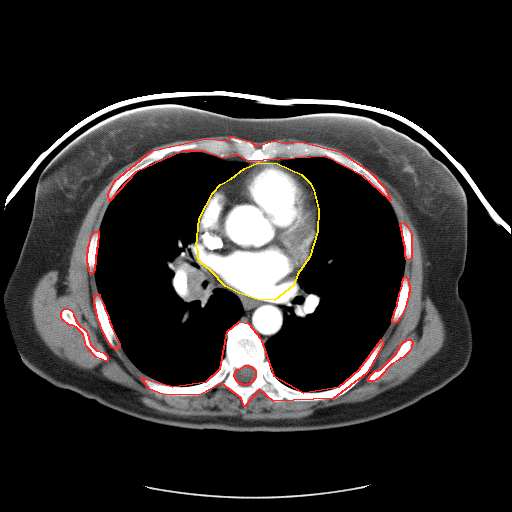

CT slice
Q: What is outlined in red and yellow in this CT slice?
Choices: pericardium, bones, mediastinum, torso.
A: red: bones; yellow: pericardium.
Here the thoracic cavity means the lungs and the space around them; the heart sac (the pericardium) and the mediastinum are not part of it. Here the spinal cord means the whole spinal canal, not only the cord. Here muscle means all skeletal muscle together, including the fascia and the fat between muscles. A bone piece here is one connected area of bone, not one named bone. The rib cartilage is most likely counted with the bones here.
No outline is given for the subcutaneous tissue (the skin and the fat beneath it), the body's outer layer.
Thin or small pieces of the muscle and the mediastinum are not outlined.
The bones appear in 8 outlined pieces: piece 1: (239, 321) (248, 323) (260, 338) (273, 375) (303, 392) (339, 386) (359, 369) (381, 339) (383, 343) (366, 373) (333, 398) (273, 401) (259, 389) (244, 406) (241, 398) (221, 383) (199, 395) (162, 394) (149, 389) (141, 377) (172, 386) (206, 381) (220, 368) (227, 331), around a hole outlined by (245, 365) (248, 365) (249, 366) (251, 366) (255, 370) (255, 377) (254, 378) (254, 379) (249, 384) (246, 384) (245, 385) (244, 385) (243, 384) (241, 384) (240, 383) (239, 383) (236, 380) (236, 379) (234, 376) (234, 374) (235, 373) (235, 371) (237, 369) (239, 369); piece 2: (231, 136) (250, 141) (256, 146) (273, 140) (286, 143) (300, 141) (339, 151) (369, 171) (384, 187) (390, 200) (363, 176) (325, 156) (248, 161) (235, 154) (222, 158) (203, 151) (182, 151) (135, 172) (109, 201) (108, 194) (114, 181) (152, 150) (206, 138) (228, 140); piece 3: (96, 294) (99, 294) (99, 296) (104, 306) (104, 308) (108, 317) (109, 322) (111, 325) (111, 327) (119, 343) (119, 346) (117, 347) (117, 349) (116, 350) (110, 345) (100, 326) (100, 324) (97, 317) (96, 310) (95, 309) (95, 305) (94, 304) (94, 297); piece 4: (65, 308) (69, 309) (72, 311) (73, 315) (75, 318) (75, 320) (77, 323) (86, 331) (90, 344) (96, 350) (103, 352) (107, 356) (107, 360) (106, 361) (96, 357) (86, 346) (83, 334) (76, 327) (72, 325) (69, 325) (62, 319) (61, 317) (61, 312) (62, 310); piece 5: (407, 339) (410, 339) (412, 341) (412, 344) (411, 345) (411, 347) (409, 351) (403, 357) (400, 358) (398, 360) (391, 364) (378, 378) (373, 381) (368, 381) (367, 379) (369, 377) (369, 376) (375, 370) (378, 370) (380, 369) (395, 354) (401, 344); piece 6: (405, 276) (407, 278) (408, 284) (409, 285) (409, 292) (408, 293) (407, 301) (406, 302) (405, 307) (400, 317) (396, 322) (393, 323) (392, 322) (392, 318) (393, 317) (393, 315) (394, 314) (394, 312) (397, 305) (397, 301) (398, 300) (399, 293) (401, 289) (403, 278); piece 7: (95, 231) (98, 231) (97, 247) (96, 248) (96, 254) (95, 255) (95, 264) (94, 265) (94, 270) (93, 272) (92, 273) (90, 273) (89, 271) (89, 268) (88, 267) (88, 264) (87, 263) (87, 252) (88, 251) (88, 246) (89, 245) (90, 239) (93, 233); piece 8: (401, 222) (404, 223) (407, 226) (411, 234) (411, 257) (410, 259) (408, 260) (406, 259) (406, 257) (405, 256) (405, 246) (404, 245) (404, 242) (403, 241) (403, 237) (402, 236) (402, 231) (401, 230) (401, 227) (400, 226) (400, 224). The pericardium is outlined by (258, 162) (277, 163) (301, 174) (309, 182) (313, 189) (318, 209) (317, 231) (309, 257) (297, 274) (293, 285) (274, 300) (257, 299) (239, 293) (225, 286) (211, 271) (200, 262) (198, 259) (198, 250) (196, 246) (199, 218) (213, 192) (220, 184) (231, 178) (244, 168). The torso is outlined by (158, 108) (235, 118) (363, 120) (408, 138) (439, 160) (461, 186) (468, 209) (465, 267) (458, 281) (473, 335) (465, 369) (443, 387) (389, 415) (343, 427) (285, 432) (155, 423) (57, 387) (30, 370) (10, 328) (4, 289) (28, 230) (38, 178) (80, 136) (126, 112). The mediastinum is outlined by (199, 262) (211, 272) (225, 287) (239, 294) (257, 300) (276, 300) (280, 295) (293, 286) (296, 280) (296, 286) (298, 289) (287, 298) (281, 328) (264, 344) (254, 328) (248, 322) (239, 320) (244, 311) (238, 296) (225, 288) (214, 287) (210, 281) (210, 278) (202, 269). The spinal cord is outlined by (245, 365) (248, 365) (249, 366) (251, 366) (255, 370) (255, 377) (254, 378) (254, 379) (249, 384) (246, 384) (245, 385) (244, 385) (243, 384) (241, 384) (240, 383) (239, 383) (236, 380) (236, 379) (234, 376) (234, 374) (235, 373) (235, 371) (237, 369) (239, 369). The thoracic cavity appears in 2 outlined pieces: piece 1: (182, 152) (203, 152) (226, 161) (246, 163) (224, 179) (208, 198) (198, 218) (194, 245) (199, 266) (211, 285) (236, 295) (243, 311) (226, 331) (224, 356) (217, 371) (196, 384) (172, 385) (149, 377) (127, 356) (110, 322) (94, 271) (101, 222) (117, 190) (141, 169); piece 2: (309, 156) (333, 160) (379, 190) (397, 219) (405, 257) (396, 305) (381, 338) (351, 376) (335, 387) (319, 391) (295, 389) (280, 381) (265, 351) (266, 342) (282, 328) (288, 298) (299, 289) (298, 274) (317, 236) (319, 209) (314, 189) (303, 173) (282, 164) (286, 159). The muscle appears in 2 outlined pieces: piece 1: (134, 161) (108, 191) (109, 202) (99, 229) (88, 242) (86, 263) (89, 273) (94, 273) (98, 293) (93, 304) (101, 331) (114, 350) (120, 346) (147, 376) (140, 380) (149, 390) (162, 395) (199, 396) (221, 384) (235, 393) (245, 407) (259, 390) (273, 402) (310, 402) (337, 398) (351, 389) (375, 362) (384, 343) (382, 337) (390, 323) (401, 317) (410, 292) (404, 271) (406, 260) (412, 257) (412, 234) (404, 222) (399, 224) (389, 193) (370, 171) (397, 191) (417, 231) (424, 261) (422, 283) (444, 323) (443, 345) (408, 379) (372, 398) (321, 407) (299, 418) (277, 419) (161, 412) (140, 401) (135, 390) (62, 359) (35, 329) (30, 304) (33, 289) (51, 270) (57, 270) (60, 279) (64, 279) (89, 207) (113, 174); inner edges: (65, 308) (69, 309) (72, 311) (73, 315) (75, 318) (75, 320) (77, 323) (86, 331) (90, 344) (96, 350) (103, 352) (107, 356) (107, 360) (106, 361) (96, 357) (86, 346) (83, 334) (76, 327) (72, 325) (69, 325) (62, 319) (61, 317) (61, 312) (62, 310), then (407, 339) (410, 339) (412, 341) (412, 344) (411, 345) (411, 347) (409, 351) (403, 357) (400, 358) (398, 360) (391, 364) (378, 378) (373, 381) (368, 381) (367, 379) (369, 377) (369, 376) (375, 370) (378, 370) (380, 369) (395, 354) (401, 344); piece 2: (306, 142) (313, 142) (314, 143) (319, 143) (320, 144) (322, 144) (323, 145) (326, 145) (327, 146) (329, 146) (330, 147) (332, 147) (333, 148) (335, 148) (336, 149) (338, 149) (339, 150) (340, 150) (341, 151) (342, 151) (343, 152) (344, 152) (345, 153) (346, 153) (347, 154) (348, 154) (350, 156) (351, 156) (352, 157) (351, 157) (350, 156) (349, 156) (348, 155) (347, 155) (346, 154) (345, 154) (343, 152) (342, 152) (341, 151) (340, 151) (339, 150) (337, 150) (336, 149) (334, 149) (333, 148) (332, 148) (331, 147) (328, 147) (327, 146) (326, 146) (325, 145) (322, 145) (321, 144) (319, 144) (318, 143) (312, 143) (311, 142).